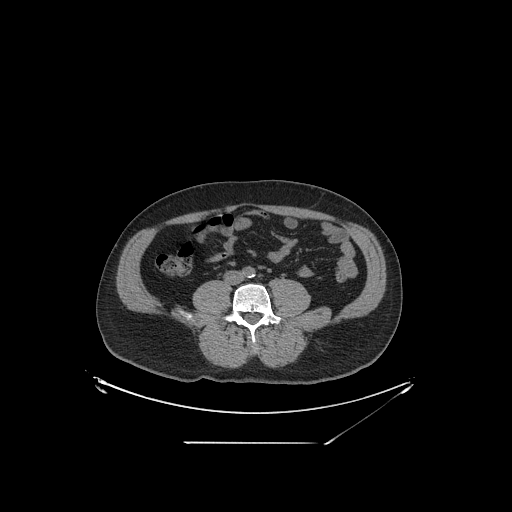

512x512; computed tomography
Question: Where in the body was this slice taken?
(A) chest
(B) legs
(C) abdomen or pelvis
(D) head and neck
Answer: (C) abdomen or pelvis
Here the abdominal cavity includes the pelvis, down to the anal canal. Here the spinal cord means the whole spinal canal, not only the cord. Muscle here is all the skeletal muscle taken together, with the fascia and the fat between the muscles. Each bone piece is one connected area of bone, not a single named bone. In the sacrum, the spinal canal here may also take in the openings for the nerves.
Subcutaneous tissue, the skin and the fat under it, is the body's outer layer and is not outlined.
{"muscle":[{"outer":[[242,202],[307,208],[332,215],[344,221],[359,224],[370,230],[376,237],[383,251],[386,263],[386,289],[377,307],[365,316],[347,319],[338,324],[326,326],[316,331],[307,347],[296,361],[277,368],[266,366],[256,356],[235,368],[212,364],[203,356],[196,342],[192,339],[190,331],[183,325],[162,315],[134,312],[128,309],[122,303],[117,293],[115,281],[121,253],[128,240],[135,233],[141,229],[154,226],[180,215]],"holes":[[[241,208],[344,228],[365,260],[359,294],[333,314],[327,305],[310,308],[312,297],[299,281],[275,277],[269,295],[281,320],[258,327],[254,345],[246,327],[223,318],[232,311],[225,280],[200,284],[191,295],[193,309],[167,309],[140,271],[156,234]],[[180,309],[181,309],[182,310],[184,310],[185,311],[187,311],[188,312],[189,312],[190,313],[191,313],[193,315],[193,318],[191,320],[190,320],[189,319],[187,319],[186,318],[185,318],[182,315],[181,315],[179,313],[179,312],[178,311]]]}],"bones":[{"outer":[[247,283],[261,284],[266,288],[270,296],[272,311],[281,318],[278,323],[261,325],[258,327],[254,332],[254,345],[251,341],[250,332],[246,327],[239,325],[235,322],[229,322],[223,318],[225,315],[229,314],[232,311],[232,296],[234,290],[238,286]],"hole":[[245,313],[258,313],[259,314],[260,314],[260,318],[255,323],[249,323],[244,318],[244,314]]},[[180,309],[181,309],[182,310],[184,310],[185,311],[187,311],[188,312],[189,312],[190,313],[191,313],[193,315],[193,318],[191,320],[190,320],[189,319],[187,319],[186,318],[185,318],[182,315],[181,315],[179,313],[179,312],[178,311]]],"torso":[[[261,179],[303,182],[339,193],[362,207],[388,236],[400,263],[403,300],[399,323],[383,353],[354,374],[314,384],[218,382],[204,378],[182,382],[150,373],[112,355],[104,345],[97,326],[95,301],[105,261],[125,226],[145,207],[177,190],[206,182]]],"spinal_cord":[[[245,313],[258,313],[259,314],[260,314],[260,318],[255,323],[249,323],[244,318],[244,314]]],"abdominal_cavity":[[[241,208],[344,228],[365,260],[359,294],[333,314],[327,305],[310,308],[311,295],[294,279],[271,279],[269,293],[261,283],[242,283],[232,295],[227,281],[210,279],[193,291],[193,309],[178,304],[167,309],[147,289],[140,271],[156,234],[166,226]]]}